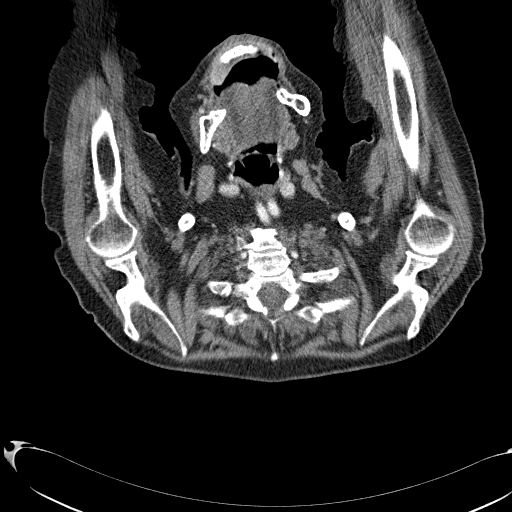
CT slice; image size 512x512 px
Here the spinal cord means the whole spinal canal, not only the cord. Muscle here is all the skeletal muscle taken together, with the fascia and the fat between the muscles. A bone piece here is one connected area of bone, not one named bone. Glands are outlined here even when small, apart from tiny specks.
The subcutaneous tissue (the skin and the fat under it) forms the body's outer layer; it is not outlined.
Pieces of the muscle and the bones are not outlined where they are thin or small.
Outlines (x, y in pixels):
submandibular glands 1: 220,130 225,132 225,133 226,134 226,136 227,137 227,142 229,145 229,150 228,151 228,152 227,152 226,153 217,153 216,152 215,152 213,149 213,134 214,133 214,132 215,132 216,131 219,131
submandibular glands 2: 291,129 293,129 294,130 295,130 295,131 298,136 298,140 297,141 296,144 295,144 293,146 292,146 290,149 287,150 284,148 284,147 282,144 282,141 283,140 284,137 288,133 289,130 290,130
torso: 175,146 186,203 216,238 267,229 295,242 317,217 332,169 343,178 344,166 342,190 355,207 404,237 427,259 481,275 437,339 392,364 261,382 140,361 105,335 70,286 127,257 152,230 167,202 168,154
head and neck: 241,33 279,43 293,64 308,75 322,92 325,120 315,144 322,149 323,158 332,168 316,217 295,241 284,240 267,228 251,229 235,238 216,237 187,203 191,154 170,116 168,104 174,92 214,46 232,34 with holes at 257,144 275,144 275,151 269,156 269,164 275,165 277,170 277,175 273,181 252,183 251,181 246,181 241,176 237,175 235,170 236,162 241,162 242,158 245,155 244,154 246,153 244,152 248,148 253,147 and at 259,56 264,56 275,63 277,66 277,74 275,77 271,77 267,75 261,75 255,81 251,83 246,83 243,81 234,80 225,86 219,93 216,93 214,91 215,86 219,86 224,82 234,64 244,59 255,58
right arm: 69,0 112,0 121,8 117,34 139,58 141,68 136,74 155,86 154,102 140,108 139,120 167,152 167,198 159,219 127,256 71,285 54,258 60,242 46,226 41,204 48,153 42,134 46,80 71,27
bones 1: 100,105 108,109 113,122 121,165 121,203 137,229 135,260 146,291 187,348 184,359 170,328 137,303 131,306 131,317 140,341 136,343 124,333 115,292 126,277 108,267 84,240 86,229 97,216 90,138
bones 2: 257,226 277,230 287,252 296,253 290,264 296,272 339,267 330,282 305,283 298,308 351,295 356,302 316,325 287,311 273,331 240,296 213,293 208,280 237,280 235,267 244,261 237,237 249,241 247,228; inner edge: 268,283 275,283 277,284 282,289 283,289 286,293 286,295 282,303 278,307 277,307 273,310 270,310 270,309 266,305 264,304 264,303 262,301 259,295 259,291 264,285
bones 3: 419,197 456,229 450,247 439,255 434,265 417,274 416,281 429,295 420,318 420,329 415,337 406,339 415,311 406,295 378,320 364,345 360,346 365,328 398,289 391,276 406,259 408,245 404,231
bones 4: 385,30 396,41 401,51 405,54 411,73 419,120 418,126 419,127 419,150 420,151 419,166 420,169 418,174 412,174 408,169 402,156 398,140 393,129 391,119 390,101 387,89 386,73 381,50 382,34
bones 5: 258,42 261,44 265,44 273,49 274,51 273,55 275,56 277,60 276,62 274,62 264,55 244,58 233,64 225,79 221,84 214,85 211,82 210,75 213,68 213,63 218,59 219,54 238,44 256,45
bones 6: 219,108 225,108 226,109 226,114 225,115 225,117 218,125 215,131 213,132 212,134 212,139 211,140 211,145 208,151 205,154 202,154 199,150 199,117 201,115 206,115 211,110 214,110 215,109 218,109
bones 7: 227,304 230,305 232,307 239,306 245,311 250,313 251,315 251,317 249,319 235,326 229,325 225,321 225,320 222,318 215,317 211,315 203,315 202,313 199,311 199,309 202,307 218,306 219,305 226,305
bones 8: 280,86 283,86 291,93 299,93 307,97 310,103 310,111 309,113 306,116 303,116 302,115 300,115 291,107 288,106 286,104 281,103 278,100 275,93 276,92 276,90 277,88
bones 9: 343,210 345,211 348,211 353,216 355,220 355,226 354,227 354,229 351,231 349,230 347,230 345,229 342,226 341,226 341,225 339,223 337,219 337,217 338,216 338,214 339,212
bones 10: 187,211 189,211 190,212 191,212 195,216 195,222 193,224 193,225 189,229 188,229 185,231 181,231 179,229 177,223 178,222 178,220 179,219 179,218 182,215 182,214 183,214 185,212 186,212
spinal cord: 268,283 275,283 277,284 282,289 283,289 286,293 286,295 282,303 278,307 277,307 273,310 270,310 270,309 266,305 264,304 264,303 262,301 259,295 259,291 264,285
muscle: 344,0 409,5 429,93 472,216 463,270 421,326 430,295 418,274 451,247 457,229 419,196 403,231 405,259 390,276 397,289 358,340 364,346 408,296 409,341 356,360 279,363 275,349 268,362 185,363 138,343 137,304 169,328 181,360 188,348 137,263 138,229 124,211 120,150 105,105 90,125 96,216 83,240 125,277 114,292 122,329 71,256 61,171 77,87 107,46 117,53 136,150 163,210 180,216 176,224 185,232 196,222 191,211 182,213 198,160 188,125 194,90 225,44 265,42 314,103 309,161 330,194 349,200 381,124 359,95; inner edges: 257,226 277,230 287,252 296,253 290,264 296,272 339,267 330,282 305,283 298,308 351,295 356,302 316,325 287,311 273,331 240,296 213,293 208,280 237,280 235,267 244,261 237,237 249,241 247,228, then 385,30 396,41 401,51 405,54 411,73 419,120 418,126 419,127 419,150 420,151 419,166 420,169 418,174 412,174 408,169 402,156 398,140 393,129 391,119 390,101 387,89 386,73 381,50 382,34, then 258,42 273,49 273,55 277,60 275,63 277,66 276,76 271,77 261,75 251,83 234,80 225,86 219,93 216,93 214,91 215,86 211,82 210,75 213,68 213,63 218,59 219,54 238,44 256,45, then 257,144 275,144 275,151 269,156 269,164 275,165 277,170 277,175 273,181 252,183 251,181 246,181 245,179 243,181 242,178 237,175 235,170 236,162 241,162 245,155 244,154 246,153 244,152 248,148, then 219,108 225,108 226,114 215,130 216,131 221,130 225,132 227,137 227,142 229,145 229,150 226,153 215,152 213,149 212,139 211,145 208,151 205,154 202,154 199,150 199,117 201,115 206,115 211,110, then 227,304 230,305 232,307 239,306 245,311 250,313 251,315 251,317 249,319 235,326 229,325 225,321 225,320 222,318 215,317 211,315 203,315 202,313 199,311 199,309 202,307 218,306 219,305 226,305, then 280,86 283,86 291,93 299,93 307,97 310,103 310,111 309,113 306,116 303,116 302,115 300,115 291,107 288,106 286,104 281,103 278,100 275,93 276,92 276,90 277,88, then 343,210 345,211 348,211 353,216 355,220 355,226 354,227 354,229 351,231 349,230 347,230 345,229 342,226 341,226 341,225 339,223 337,219 337,217 338,216 338,214 339,212, then 277,147 278,148 279,148 279,150 280,151 280,154 281,155 281,157 282,158 282,161 280,164 280,166 283,171 283,173 282,174 281,177 280,177 279,178 279,179 279,165 275,160 275,154 277,151, then 229,161 231,161 233,163 233,173 234,174 234,179 233,180 229,180 228,179 228,175 230,173 230,172 231,171 231,170 227,166 227,162 228,162
left arm: 331,0 416,0 442,64 475,165 486,236 481,255 482,273 427,258 404,236 377,221 347,198 343,181 349,147 361,139 371,139 373,120 368,117 353,123 345,115 342,91 346,68 341,54 332,43 336,11